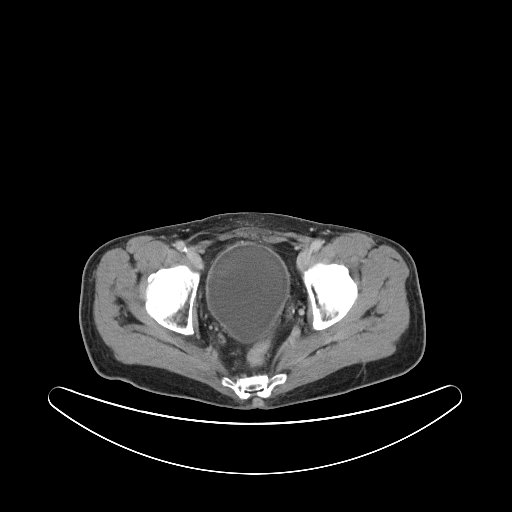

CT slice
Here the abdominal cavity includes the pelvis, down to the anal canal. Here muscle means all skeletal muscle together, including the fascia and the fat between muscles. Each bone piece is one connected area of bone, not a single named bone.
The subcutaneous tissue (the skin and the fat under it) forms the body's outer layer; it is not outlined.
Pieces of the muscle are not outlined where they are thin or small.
The bones appear in 3 outlined pieces: piece 1: (179, 264) (186, 265) (194, 273) (197, 273) (198, 272) (199, 273) (199, 281) (196, 290) (195, 298) (192, 305) (193, 334) (191, 335) (185, 335) (164, 327) (151, 317) (148, 314) (145, 308) (144, 292) (147, 284) (147, 277) (151, 273) (155, 272) (160, 268) (171, 267); piece 2: (318, 262) (324, 264) (341, 263) (345, 265) (349, 270) (350, 276) (357, 284) (357, 297) (347, 313) (340, 320) (324, 329) (315, 330) (312, 327) (312, 321) (313, 320) (312, 302) (311, 299) (308, 296) (308, 293) (303, 280) (303, 273) (306, 273) (312, 265); piece 3: (264, 373) (270, 377) (277, 373) (285, 373) (287, 376) (286, 380) (281, 384) (277, 384) (272, 389) (269, 397) (266, 398) (256, 395) (253, 391) (247, 399) (241, 399) (231, 388) (224, 386) (221, 383) (221, 379) (224, 376) (234, 381) (238, 377) (243, 375) (249, 376). The muscle is outlined by (250, 225) (357, 232) (394, 248) (409, 269) (410, 315) (395, 352) (270, 397) (288, 376) (267, 373) (281, 344) (305, 333) (306, 298) (312, 329) (324, 330) (348, 313) (358, 284) (341, 262) (318, 261) (304, 272) (291, 243) (235, 236) (208, 245) (202, 271) (179, 263) (151, 272) (143, 297) (151, 318) (185, 336) (194, 334) (196, 300) (200, 338) (239, 375) (220, 383) (245, 400) (162, 368) (116, 360) (93, 319) (102, 255) (137, 236) (187, 237). The torso is outlined by (226, 212) (286, 214) (370, 231) (391, 238) (404, 246) (416, 264) (425, 312) (426, 342) (420, 361) (406, 373) (375, 384) (339, 395) (266, 410) (220, 407) (191, 399) (153, 393) (121, 380) (100, 376) (88, 358) (78, 319) (81, 276) (88, 257) (100, 245) (118, 236). The abdominal cavity is outlined by (235, 237) (267, 243) (291, 244) (296, 253) (295, 268) (303, 272) (302, 280) (307, 293) (304, 333) (289, 337) (280, 344) (266, 373) (234, 374) (217, 347) (201, 338) (199, 330) (196, 295) (200, 281) (199, 272) (202, 272) (206, 265) (203, 259) (209, 245) (215, 241).